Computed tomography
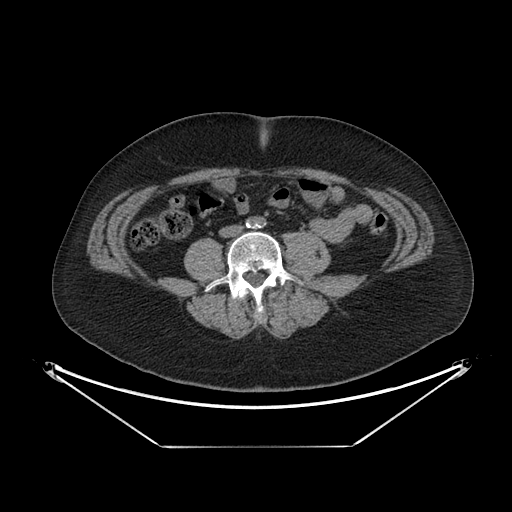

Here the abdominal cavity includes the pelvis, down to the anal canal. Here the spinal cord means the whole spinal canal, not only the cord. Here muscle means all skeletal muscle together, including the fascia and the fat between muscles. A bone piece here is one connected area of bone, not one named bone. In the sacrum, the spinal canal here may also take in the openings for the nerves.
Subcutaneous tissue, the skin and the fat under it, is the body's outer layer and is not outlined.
Outlines:
spinal cord: [[249,271],[250,271],[253,273],[256,273],[259,271],[262,271],[263,272],[264,272],[266,274],[266,276],[265,277],[265,278],[263,280],[263,281],[261,283],[261,284],[260,284],[257,286],[253,286],[248,281],[247,281],[244,278],[244,274]]
muscle: [[279,166],[310,167],[385,184],[417,202],[426,212],[434,231],[434,242],[429,257],[411,266],[384,273],[371,283],[339,298],[337,307],[331,316],[305,338],[287,341],[276,338],[264,329],[258,328],[240,339],[219,340],[209,338],[195,330],[190,324],[184,314],[183,307],[174,294],[146,286],[116,273],[98,270],[90,264],[86,247],[93,222],[100,210],[122,191],[142,182],[175,174],[183,175],[202,168],[265,169]], around a hole outlined by [[248,175],[306,176],[369,197],[393,220],[391,252],[358,275],[321,274],[332,259],[325,243],[284,232],[283,267],[302,284],[267,287],[256,316],[250,293],[205,291],[228,271],[211,237],[184,253],[192,279],[151,277],[124,243],[142,205],[175,186]]
bones: [[250,231],[272,236],[279,243],[283,267],[302,281],[300,284],[288,279],[282,285],[278,283],[274,287],[267,287],[261,297],[263,312],[256,316],[255,299],[250,293],[242,298],[232,298],[225,283],[205,291],[211,281],[227,273],[226,254],[231,243]] with a hole at [[249,271],[250,271],[253,273],[256,273],[259,271],[262,271],[263,272],[264,272],[266,274],[266,276],[265,277],[265,278],[263,280],[263,281],[261,283],[261,284],[260,284],[257,286],[253,286],[248,281],[247,281],[244,278],[244,274]]
torso: [[214,111],[336,118],[385,139],[417,161],[438,187],[470,251],[474,289],[470,308],[461,325],[453,333],[368,376],[335,386],[286,392],[232,392],[168,381],[114,359],[70,330],[54,306],[51,274],[59,245],[87,184],[112,156],[147,132],[184,116]]
abdominal cavity: [[248,175],[306,176],[369,197],[393,220],[391,252],[377,269],[358,275],[321,274],[332,258],[317,235],[287,231],[280,235],[281,246],[269,233],[250,230],[225,255],[211,237],[193,241],[182,260],[192,279],[151,277],[124,243],[142,205],[175,186]]